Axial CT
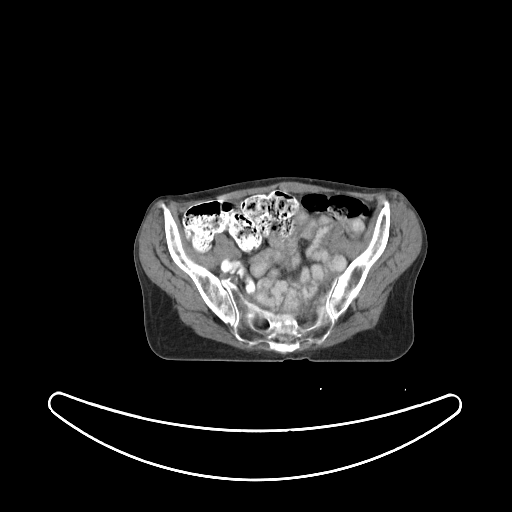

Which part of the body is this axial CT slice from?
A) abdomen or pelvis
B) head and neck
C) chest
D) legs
A) abdomen or pelvis
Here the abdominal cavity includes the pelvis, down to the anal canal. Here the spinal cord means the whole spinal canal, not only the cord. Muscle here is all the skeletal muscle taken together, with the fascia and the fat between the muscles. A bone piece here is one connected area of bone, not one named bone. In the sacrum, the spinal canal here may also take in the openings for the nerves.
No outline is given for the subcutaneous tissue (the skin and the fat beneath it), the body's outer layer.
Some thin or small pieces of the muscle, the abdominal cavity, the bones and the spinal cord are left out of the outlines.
Outlines:
spinal cord: (311, 313) (313, 313) (314, 314) (315, 314) (315, 315) (316, 316) (316, 320) (315, 321) (315, 322) (313, 324) (313, 325) (312, 325) (311, 326) (304, 326) (303, 325) (302, 325) (302, 324) (301, 323) (301, 319) (302, 318) (302, 317) (305, 315) (308, 315)
muscle 1: (284, 181) (362, 193) (393, 191) (412, 210) (421, 230) (420, 252) (394, 282) (374, 327) (325, 348) (295, 351) (300, 348) (302, 339) (309, 344) (323, 343) (330, 335) (335, 322) (359, 294) (370, 269) (387, 246) (391, 225) (390, 202) (386, 198) (382, 201) (366, 247) (350, 261) (343, 251) (332, 253) (329, 249) (335, 227) (340, 224) (346, 238) (360, 240) (376, 208) (374, 198) (368, 199) (341, 191) (294, 192) (279, 186) (241, 197) (208, 198)
muscle 2: (165, 199) (207, 199) (191, 203) (179, 212) (179, 230) (168, 206) (167, 205) (162, 200) (159, 202) (168, 253) (191, 279) (207, 307) (232, 327) (238, 341) (249, 346) (264, 342) (274, 351) (244, 350) (198, 335) (180, 319) (174, 300) (146, 275) (139, 259) (139, 236) (153, 205) (156, 202)
muscle 3: (220, 234) (223, 234) (230, 239) (234, 245) (240, 251) (242, 256) (241, 258) (237, 258) (236, 259) (230, 259) (227, 257) (224, 257) (219, 262) (214, 273) (205, 266) (193, 260) (187, 254) (183, 246) (182, 238) (195, 252) (203, 254) (213, 247) (215, 243) (216, 236)
torso: (281, 175) (313, 177) (360, 186) (389, 186) (399, 190) (414, 206) (424, 224) (428, 245) (413, 293) (414, 341) (410, 349) (390, 362) (312, 362) (307, 359) (282, 362) (172, 361) (157, 356) (147, 343) (142, 293) (133, 260) (134, 239) (149, 203) (164, 194) (183, 194)
abdominal cavity: (277, 187) (375, 200) (360, 239) (346, 237) (342, 225) (335, 225) (328, 249) (332, 254) (343, 252) (349, 262) (319, 303) (292, 312) (262, 308) (233, 281) (215, 274) (224, 258) (243, 256) (225, 234) (216, 235) (212, 247) (200, 253) (180, 232) (179, 214) (191, 204)
bones: (385, 199) (390, 208) (388, 240) (358, 294) (323, 342) (302, 338) (292, 352) (235, 337) (233, 327) (208, 307) (189, 275) (173, 261) (159, 205) (162, 201) (169, 209) (193, 261) (233, 282) (250, 303) (292, 313) (319, 304) (336, 277) (367, 247), around holes outlined by (311, 313) (313, 313) (314, 314) (315, 314) (315, 315) (316, 316) (316, 320) (315, 321) (315, 322) (313, 324) (313, 325) (312, 325) (311, 326) (304, 326) (303, 325) (302, 325) (302, 324) (301, 323) (301, 319) (302, 318) (302, 317) (305, 315) (308, 315) and by (261, 319) (264, 319) (265, 320) (266, 320) (267, 321) (267, 322) (268, 323) (268, 325) (267, 326) (267, 327) (266, 327) (265, 328) (262, 328) (261, 327) (260, 327) (258, 325) (258, 322) (259, 321) (259, 320) (260, 320)